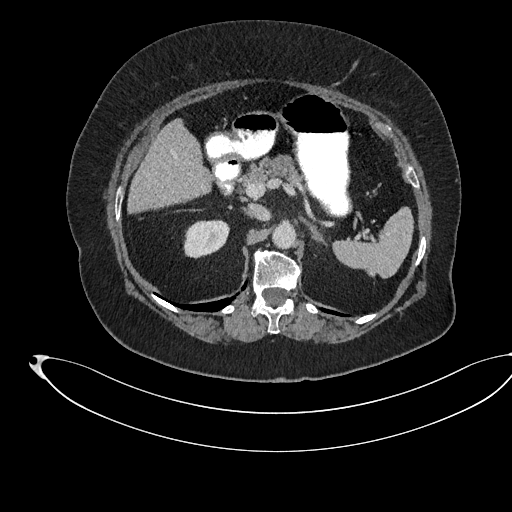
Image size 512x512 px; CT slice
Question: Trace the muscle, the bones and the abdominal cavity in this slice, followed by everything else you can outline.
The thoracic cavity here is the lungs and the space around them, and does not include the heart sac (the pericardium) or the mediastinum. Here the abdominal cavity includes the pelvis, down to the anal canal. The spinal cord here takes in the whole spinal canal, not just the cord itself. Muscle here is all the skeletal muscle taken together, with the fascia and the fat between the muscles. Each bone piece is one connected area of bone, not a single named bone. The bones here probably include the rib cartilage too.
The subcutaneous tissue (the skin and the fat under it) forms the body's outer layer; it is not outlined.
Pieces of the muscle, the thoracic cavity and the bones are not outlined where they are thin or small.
Answer: Outlines (x, y in pixels):
muscle: (261, 77) (325, 86) (379, 110) (389, 116) (406, 136) (423, 170) (432, 206) (426, 293) (401, 312) (353, 339) (334, 344) (306, 344) (279, 335) (279, 320) (282, 315) (294, 314) (295, 303) (290, 295) (298, 283) (309, 300) (303, 305) (311, 314) (321, 311) (341, 317) (357, 316) (353, 322) (358, 325) (376, 318) (376, 311) (394, 297) (412, 266) (417, 267) (426, 252) (427, 238) (420, 234) (419, 212) (414, 191) (420, 190) (421, 184) (414, 167) (408, 162) (403, 168) (400, 166) (395, 153) (376, 134) (365, 114) (322, 94) (285, 83) (255, 82) (226, 89) (187, 104) (166, 116) (129, 177) (125, 192) (121, 184) (117, 186) (113, 205) (114, 220) (120, 222) (121, 214) (121, 232) (127, 255) (136, 271) (161, 294) (154, 291) (149, 293) (159, 306) (177, 314) (181, 309) (230, 314) (235, 310) (232, 302) (251, 279) (251, 291) (254, 296) (250, 313) (253, 317) (264, 315) (268, 321) (266, 331) (272, 335) (267, 335) (254, 344) (223, 345) (206, 342) (178, 328) (125, 291) (122, 272) (107, 228) (104, 199) (104, 190) (123, 142) (138, 122) (159, 106) (186, 91) (214, 82) with a hole at (377, 122) (379, 122) (380, 123) (385, 123) (386, 124) (388, 124) (391, 127) (391, 132) (390, 133) (391, 134) (391, 137) (388, 137) (387, 136) (386, 136) (378, 128) (378, 127) (377, 126) (377, 125) (376, 124) (376, 123)
bones 1: (259, 247) (281, 252) (295, 260) (301, 268) (297, 284) (289, 295) (294, 303) (294, 312) (293, 314) (282, 314) (280, 316) (277, 334) (271, 334) (267, 331) (269, 321) (264, 314) (259, 313) (253, 316) (251, 313) (251, 305) (255, 296) (252, 291) (253, 253) with a hole at (268, 288) (280, 288) (281, 289) (284, 289) (287, 292) (287, 297) (284, 300) (283, 303) (282, 303) (279, 305) (277, 305) (276, 306) (273, 306) (272, 305) (270, 305) (269, 304) (268, 304) (267, 303) (266, 300) (263, 296) (263, 291) (265, 289) (267, 289)
bones 2: (406, 163) (408, 163) (410, 164) (413, 167) (416, 173) (416, 175) (418, 178) (418, 180) (420, 184) (420, 189) (418, 190) (417, 189) (415, 189) (411, 185) (411, 184) (409, 183) (406, 180) (406, 179) (404, 177) (404, 174) (403, 173) (403, 169)
bones 3: (119, 185) (121, 185) (124, 188) (124, 194) (123, 195) (123, 199) (122, 200) (122, 203) (121, 204) (121, 213) (120, 214) (120, 221) (119, 221) (118, 222) (115, 220) (115, 214) (114, 213) (114, 205) (115, 204) (115, 193) (116, 192) (116, 190) (117, 189) (117, 188)
bones 4: (151, 292) (154, 292) (158, 296) (161, 297) (166, 301) (171, 303) (176, 307) (179, 308) (181, 310) (181, 311) (179, 313) (177, 313) (176, 312) (174, 312) (173, 311) (172, 311) (163, 306) (161, 306) (160, 305) (159, 305) (151, 297) (151, 296) (150, 295) (150, 293)
bones 5: (420, 235) (424, 235) (426, 238) (426, 244) (425, 245) (425, 252) (424, 253) (424, 254) (420, 261) (420, 263) (417, 266) (415, 266) (414, 265) (414, 262) (416, 260) (416, 258) (417, 257) (417, 251) (418, 250) (418, 246) (419, 245) (419, 241) (420, 240)
bones 6: (372, 312) (376, 312) (377, 313) (377, 316) (373, 318) (371, 320) (369, 320) (361, 324) (358, 324) (354, 322) (354, 320) (356, 318) (360, 316) (362, 316) (365, 314) (367, 314) (368, 313) (371, 313)
bones 7: (377, 122) (379, 122) (380, 123) (385, 123) (386, 124) (388, 124) (391, 127) (391, 132) (390, 133) (391, 134) (391, 137) (388, 137) (387, 136) (386, 136) (378, 128) (378, 127) (377, 126) (377, 125) (376, 124) (376, 123)
bones 8: (306, 302) (311, 302) (313, 304) (314, 304) (318, 308) (318, 309) (319, 310) (319, 312) (318, 312) (317, 313) (311, 313) (310, 312) (309, 312) (306, 309) (306, 308) (305, 307) (305, 306) (304, 305) (304, 304)
abdominal cavity: (266, 82) (301, 88) (365, 115) (413, 188) (419, 229) (416, 257) (393, 297) (375, 311) (348, 315) (316, 305) (298, 282) (301, 266) (275, 249) (259, 246) (253, 251) (251, 278) (239, 293) (201, 303) (167, 299) (128, 255) (122, 204) (130, 177) (161, 123) (187, 105)
torso: (234, 19) (297, 21) (353, 34) (403, 60) (434, 94) (448, 126) (461, 179) (452, 267) (455, 317) (438, 339) (343, 375) (257, 382) (206, 376) (159, 363) (121, 345) (100, 323) (80, 280) (78, 250) (66, 213) (66, 184) (75, 142) (102, 90) (135, 52) (172, 32)
spinal cord: (268, 288) (280, 288) (281, 289) (284, 289) (287, 292) (287, 297) (284, 300) (283, 303) (282, 303) (279, 305) (277, 305) (276, 306) (273, 306) (272, 305) (270, 305) (269, 304) (268, 304) (267, 303) (266, 300) (263, 296) (263, 291) (265, 289) (267, 289)
thoracic cavity: (160, 296) (162, 296) (164, 298) (167, 300) (179, 303) (180, 304) (201, 304) (206, 302) (213, 302) (217, 300) (221, 300) (224, 298) (228, 298) (232, 296) (236, 296) (233, 299) (231, 303) (227, 304) (216, 311) (194, 311) (188, 309) (183, 309) (176, 306) (171, 302) (166, 300)